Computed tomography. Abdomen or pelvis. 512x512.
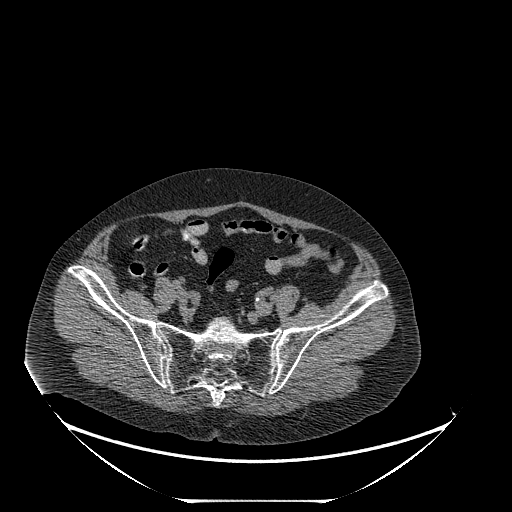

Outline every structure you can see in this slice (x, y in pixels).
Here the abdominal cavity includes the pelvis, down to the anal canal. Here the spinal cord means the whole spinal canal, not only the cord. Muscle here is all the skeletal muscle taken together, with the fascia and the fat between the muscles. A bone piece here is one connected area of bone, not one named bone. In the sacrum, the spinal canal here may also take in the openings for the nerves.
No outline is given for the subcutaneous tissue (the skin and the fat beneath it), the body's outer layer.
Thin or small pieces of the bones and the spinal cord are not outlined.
abdominal cavity: [[234,207],[347,242],[358,263],[329,302],[306,300],[291,314],[300,290],[285,284],[275,295],[281,324],[272,330],[242,331],[218,315],[190,331],[159,319],[176,296],[167,278],[155,281],[154,302],[120,289],[108,261],[118,226],[145,217],[180,222]]
torso: [[209,167],[275,173],[316,185],[348,204],[386,241],[410,284],[421,358],[414,375],[384,409],[324,436],[282,444],[243,445],[149,431],[59,393],[42,392],[24,357],[25,339],[41,280],[55,251],[87,221],[127,194],[175,173]]
bones: [[72,264],[93,270],[133,315],[190,332],[203,330],[218,316],[229,318],[242,332],[253,333],[317,324],[374,279],[383,282],[389,293],[318,334],[275,393],[262,397],[245,388],[230,390],[214,407],[204,388],[171,393],[155,382],[126,325],[66,271]]; inner edges: [[239,350],[240,350],[241,351],[243,351],[245,353],[245,354],[247,356],[247,359],[246,360],[246,361],[245,362],[245,363],[244,364],[242,364],[240,362],[239,362],[237,360],[237,356],[238,355],[238,354],[239,353]], then [[198,350],[202,350],[203,351],[203,352],[204,353],[204,357],[203,357],[202,358],[198,358],[197,357],[196,357],[196,356],[195,355],[195,353]]
muscle 1: [[237,201],[312,222],[349,237],[376,259],[387,285],[374,278],[327,318],[317,323],[282,328],[276,309],[278,290],[285,285],[293,285],[299,290],[299,299],[291,315],[306,301],[319,306],[329,303],[350,280],[359,263],[347,241],[320,229],[274,222],[245,206],[234,206],[207,216],[189,215],[180,221],[158,216],[126,221],[109,235],[107,261],[122,292],[133,289],[153,303],[158,279],[167,279],[173,284],[173,301],[157,320],[126,309],[93,269],[72,263],[65,271],[86,288],[98,305],[125,325],[156,384],[171,394],[204,389],[213,407],[204,407],[194,413],[167,411],[77,375],[67,347],[53,326],[52,299],[62,270],[81,255],[103,227],[120,219],[142,213]]
muscle 2: [[388,286],[393,298],[396,326],[389,342],[362,362],[364,376],[356,391],[329,401],[314,401],[283,415],[244,415],[230,408],[216,408],[221,406],[230,391],[245,389],[264,398],[281,390],[305,350],[318,335],[350,321],[372,304],[387,298],[390,293]]
spinal cord: [[239,350],[240,350],[241,351],[243,351],[245,353],[245,354],[247,356],[247,359],[246,360],[246,361],[245,362],[245,363],[244,364],[242,364],[240,362],[239,362],[237,360],[237,356],[238,355],[238,354],[239,353]]